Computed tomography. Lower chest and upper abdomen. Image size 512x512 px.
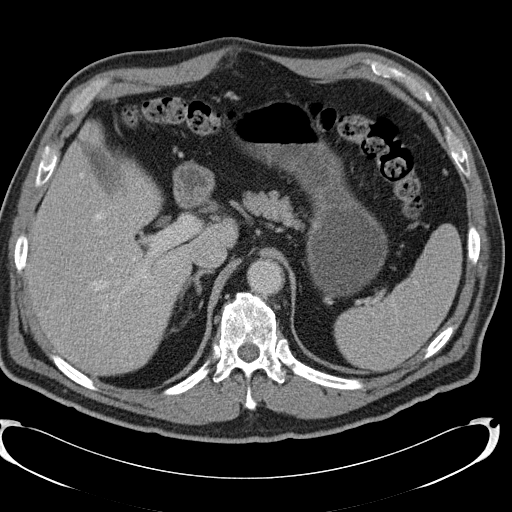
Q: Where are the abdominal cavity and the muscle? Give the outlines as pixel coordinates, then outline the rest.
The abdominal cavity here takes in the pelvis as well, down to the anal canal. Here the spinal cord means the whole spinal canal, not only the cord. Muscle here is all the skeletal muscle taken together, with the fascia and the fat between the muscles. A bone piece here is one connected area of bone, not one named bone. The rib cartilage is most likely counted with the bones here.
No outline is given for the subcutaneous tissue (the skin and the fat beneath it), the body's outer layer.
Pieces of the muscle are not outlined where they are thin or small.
A: {"abdominal_cavity":[[[244,52],[324,83],[395,82],[433,112],[465,190],[467,263],[455,309],[399,368],[336,375],[294,355],[280,324],[288,270],[256,254],[220,289],[217,332],[193,372],[161,390],[92,379],[44,337],[26,281],[30,227],[64,142],[96,101],[198,81]]],"muscle":[{"outer":[[230,44],[234,44],[245,48],[249,48],[252,50],[279,56],[285,56],[292,58],[306,58],[307,59],[332,58],[356,52],[375,53],[397,62],[423,78],[432,86],[447,106],[459,124],[471,148],[477,173],[481,181],[482,189],[485,196],[484,199],[485,200],[484,212],[486,220],[485,231],[489,243],[489,257],[487,261],[488,267],[479,308],[478,319],[471,338],[470,344],[465,353],[458,360],[448,363],[431,373],[427,374],[393,392],[369,402],[365,405],[335,416],[325,418],[304,419],[298,418],[290,414],[276,412],[265,407],[258,407],[255,409],[257,406],[257,402],[252,395],[251,386],[248,383],[246,386],[246,393],[243,405],[248,410],[250,410],[242,411],[239,415],[229,420],[213,421],[206,424],[185,424],[136,413],[108,405],[86,397],[66,387],[63,384],[50,377],[18,364],[10,356],[7,347],[7,328],[10,313],[8,242],[11,235],[13,219],[17,214],[17,204],[20,197],[22,184],[29,171],[41,138],[63,99],[73,88],[86,81],[94,75],[106,70],[121,67],[170,66]],"holes":[[[244,52],[324,83],[343,78],[393,83],[374,74],[362,61],[368,58],[399,69],[429,92],[432,102],[424,103],[441,129],[448,125],[467,153],[470,176],[460,171],[459,175],[467,225],[476,228],[480,242],[478,259],[475,264],[467,261],[455,309],[445,325],[454,326],[453,332],[426,359],[424,350],[389,373],[359,377],[364,385],[359,389],[324,386],[283,364],[282,383],[262,368],[248,382],[236,367],[215,382],[214,363],[204,378],[178,394],[126,389],[95,379],[98,389],[87,388],[50,358],[56,352],[34,319],[26,269],[18,272],[14,261],[17,238],[30,234],[48,185],[47,181],[35,186],[44,147],[54,145],[59,156],[66,138],[98,100],[198,81]],[[98,78],[108,78],[109,79],[109,84],[103,87],[97,93],[93,99],[89,102],[89,103],[83,110],[80,111],[76,114],[74,114],[73,115],[71,114],[69,112],[69,108],[75,96],[78,93],[79,93],[82,90],[82,89],[87,86],[92,81]]]}],"torso":[[[221,36],[286,45],[377,45],[417,62],[445,88],[487,167],[505,244],[499,297],[483,337],[479,372],[471,382],[439,392],[387,419],[339,433],[228,444],[115,425],[58,403],[11,380],[0,369],[0,208],[13,174],[60,88],[84,66],[112,54]]],"bones":[{"outer":[[241,291],[263,298],[273,309],[277,331],[287,337],[296,358],[326,373],[357,378],[363,387],[324,386],[283,364],[282,383],[268,377],[262,368],[248,382],[236,367],[215,382],[213,363],[192,387],[163,394],[208,358],[212,343],[218,340],[222,305]],"hole":[[245,343],[251,343],[252,344],[253,344],[254,345],[255,345],[258,348],[258,356],[257,357],[256,357],[253,360],[252,360],[251,361],[246,361],[245,360],[244,360],[243,359],[242,359],[239,356],[239,355],[238,354],[238,349],[242,345],[243,345]]},[[366,58],[379,61],[382,63],[385,63],[390,66],[395,67],[413,77],[422,87],[425,88],[429,92],[432,97],[432,102],[427,103],[423,101],[420,101],[415,98],[401,84],[392,79],[384,78],[374,74],[372,72],[370,66],[362,61],[363,59]],[[446,124],[449,126],[453,133],[460,140],[464,149],[467,153],[467,157],[468,158],[469,167],[470,168],[470,176],[468,178],[458,169],[456,164],[450,155],[450,150],[449,149],[448,144],[446,141],[446,139],[444,135],[444,131],[443,130],[443,126]],[[98,78],[108,78],[109,79],[109,84],[103,87],[97,93],[93,99],[89,102],[89,103],[83,110],[80,111],[76,114],[74,114],[73,115],[71,114],[69,112],[69,108],[75,96],[78,93],[79,93],[82,90],[82,89],[87,86],[92,81]],[[47,144],[49,144],[50,145],[54,145],[55,146],[57,150],[57,152],[58,153],[58,160],[49,179],[45,183],[37,187],[35,186],[35,179],[36,178],[37,169],[38,168],[38,165],[39,164],[39,162],[42,157],[42,152],[44,149],[44,147]],[[52,354],[56,354],[58,356],[62,358],[74,368],[75,368],[77,370],[78,370],[80,372],[90,378],[97,386],[98,389],[97,390],[92,390],[89,388],[87,388],[75,382],[73,380],[69,378],[55,365],[53,361],[50,358],[50,355]],[[450,325],[452,325],[454,326],[454,329],[449,339],[445,343],[445,344],[434,354],[433,354],[431,356],[430,356],[426,359],[423,359],[422,358],[425,352],[424,350],[428,346],[428,345],[446,327]],[[22,233],[24,233],[27,237],[27,255],[26,256],[26,259],[25,260],[25,267],[20,272],[18,272],[17,271],[17,269],[16,268],[16,266],[15,265],[15,262],[14,261],[14,249],[15,248],[15,244],[16,243],[17,238],[19,236],[19,235]],[[471,225],[473,225],[476,228],[479,234],[479,241],[480,242],[480,245],[479,246],[479,255],[478,256],[478,259],[475,264],[473,264],[469,260],[468,260],[468,257],[467,256],[467,253],[468,252],[468,250],[467,249],[467,240],[468,239],[468,229]],[[248,384],[249,384],[249,385],[250,386],[250,389],[251,390],[251,395],[252,396],[253,399],[256,402],[256,406],[255,407],[255,408],[253,410],[248,409],[244,405],[244,403],[245,402],[245,400],[246,399],[246,394],[247,393],[247,386],[248,385]]],"mediastinum":[[[256,255],[271,256],[276,258],[287,270],[289,278],[289,303],[280,318],[278,318],[277,313],[263,297],[245,290],[237,291],[232,299],[225,301],[219,309],[218,298],[221,289],[224,287],[224,284],[230,274],[236,266],[243,262],[246,258]]],"spinal_cord":[[[245,343],[251,343],[252,344],[253,344],[254,345],[255,345],[258,348],[258,356],[257,357],[256,357],[253,360],[252,360],[251,361],[246,361],[245,360],[244,360],[243,359],[242,359],[239,356],[239,355],[238,354],[238,349],[242,345],[243,345]]]}